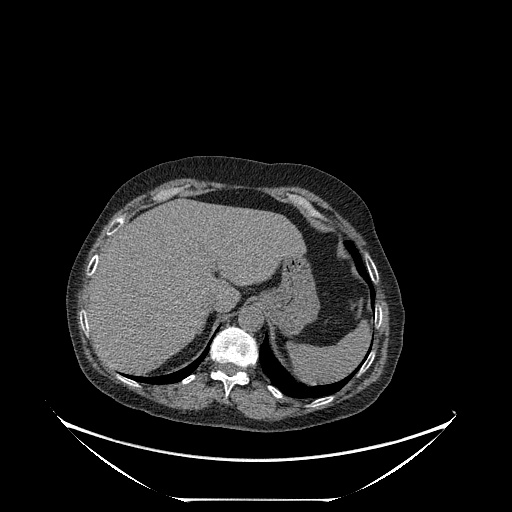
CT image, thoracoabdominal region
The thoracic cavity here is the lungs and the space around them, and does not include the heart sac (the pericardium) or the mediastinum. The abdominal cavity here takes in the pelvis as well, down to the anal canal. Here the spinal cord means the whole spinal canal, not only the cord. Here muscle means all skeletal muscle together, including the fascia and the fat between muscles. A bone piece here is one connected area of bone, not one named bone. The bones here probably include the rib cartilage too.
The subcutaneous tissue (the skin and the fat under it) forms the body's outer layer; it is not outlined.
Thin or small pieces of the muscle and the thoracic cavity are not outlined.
Outlines:
bones 1: (228, 326) (235, 326) (243, 329) (256, 340) (258, 346) (258, 359) (257, 364) (254, 367) (249, 367) (247, 369) (249, 382) (244, 385) (235, 384) (228, 395) (227, 402) (225, 402) (223, 383) (220, 380) (210, 377) (210, 372) (216, 368) (216, 364) (206, 358) (215, 335) with a hole at (226, 363) (232, 363) (233, 364) (234, 364) (236, 366) (237, 366) (238, 367) (239, 367) (240, 368) (240, 369) (239, 370) (238, 370) (234, 374) (233, 374) (232, 375) (228, 375) (226, 373) (225, 373) (221, 369) (221, 366) (223, 364) (225, 364)
bones 2: (288, 192) (289, 193) (294, 193) (295, 194) (300, 195) (304, 197) (306, 199) (307, 199) (326, 217) (327, 220) (322, 220) (317, 217) (314, 217) (308, 214) (303, 209) (302, 209) (301, 207) (297, 205) (294, 205) (292, 203) (288, 201) (285, 197) (285, 194)
bones 3: (185, 184) (189, 184) (190, 185) (189, 188) (185, 189) (183, 191) (167, 199) (165, 199) (161, 201) (154, 201) (152, 200) (151, 198) (151, 197) (153, 195) (154, 195) (162, 189) (166, 189) (173, 186) (174, 187) (176, 186) (180, 186) (181, 185) (184, 185)
bones 4: (365, 251) (368, 252) (368, 253) (372, 258) (376, 266) (376, 268) (378, 272) (378, 276) (379, 277) (379, 280) (378, 282) (375, 284) (374, 284) (371, 280) (371, 278) (369, 275) (369, 273) (367, 270) (367, 268) (364, 262) (364, 259) (363, 258) (363, 254)
bones 5: (123, 214) (125, 214) (125, 220) (124, 221) (123, 224) (113, 234) (112, 234) (110, 236) (108, 236) (106, 234) (106, 232) (109, 227) (109, 225) (110, 224) (111, 221) (113, 219) (114, 219) (115, 218) (116, 218) (117, 217) (118, 217)
bones 6: (332, 394) (333, 394) (335, 396) (333, 400) (325, 404) (322, 404) (316, 407) (305, 407) (304, 406) (305, 404) (307, 403) (309, 403) (314, 399) (316, 399) (320, 397) (323, 397) (324, 396) (327, 396) (328, 395) (331, 395)
bones 7: (82, 308) (84, 308) (85, 309) (85, 311) (86, 312) (86, 315) (87, 316) (87, 321) (88, 322) (88, 325) (89, 326) (89, 338) (86, 337) (86, 336) (85, 335) (85, 334) (84, 333) (83, 330) (81, 328) (81, 326) (80, 325) (80, 322) (79, 321) (79, 311)
bones 8: (371, 349) (374, 349) (375, 350) (375, 356) (374, 357) (374, 359) (373, 360) (373, 361) (371, 363) (370, 366) (360, 376) (357, 377) (355, 375) (357, 373) (357, 372) (359, 370) (360, 367) (362, 365) (362, 364) (366, 359) (366, 358) (367, 357) (367, 356) (369, 354)
bones 9: (375, 303) (379, 303) (380, 304) (382, 304) (382, 323) (381, 324) (381, 325) (380, 326) (380, 327) (378, 329) (376, 329) (375, 328) (375, 323) (374, 322) (374, 308) (375, 307)
bones 10: (96, 253) (99, 255) (99, 257) (98, 258) (98, 261) (97, 262) (97, 265) (95, 268) (95, 270) (94, 271) (94, 272) (92, 274) (92, 275) (89, 277) (86, 275) (86, 269) (87, 268) (87, 266) (88, 265) (88, 263) (89, 262) (90, 259) (92, 257) (92, 256)
bones 11: (116, 372) (117, 373) (119, 373) (121, 375) (122, 375) (125, 377) (127, 377) (134, 381) (136, 381) (137, 382) (138, 382) (141, 385) (141, 388) (138, 388) (137, 387) (135, 387) (134, 386) (129, 385) (128, 384) (121, 381) (116, 377) (116, 376) (115, 375)
bones 12: (267, 384) (270, 384) (271, 385) (272, 385) (273, 386) (274, 386) (277, 389) (278, 389) (284, 395) (284, 397) (283, 398) (277, 398) (276, 397) (275, 397) (271, 393) (271, 392) (266, 387) (266, 386) (267, 385)
bones 13: (192, 373) (194, 373) (196, 376) (195, 377) (195, 378) (193, 380) (192, 380) (191, 381) (190, 381) (188, 383) (185, 383) (184, 384) (183, 384) (180, 382) (180, 381) (182, 379) (183, 379) (184, 378) (185, 378) (187, 376) (188, 376) (190, 374) (191, 374)
thoracic cavity 1: (265, 334) (267, 334) (268, 337) (269, 347) (281, 367) (295, 382) (306, 387) (332, 384) (345, 378) (360, 364) (371, 344) (371, 348) (356, 373) (339, 390) (334, 393) (313, 399) (296, 398) (284, 394) (271, 384) (270, 380) (263, 373) (258, 364) (259, 346) (262, 343)
thoracic cavity 2: (218, 328) (219, 328) (219, 330) (211, 340) (208, 350) (208, 354) (205, 359) (193, 372) (182, 378) (179, 381) (165, 384) (154, 384) (146, 382) (139, 382) (120, 373) (134, 376) (153, 377) (170, 374) (180, 370) (193, 362) (202, 353) (212, 338) (216, 329)
thoracic cavity 3: (348, 240) (350, 240) (354, 244) (360, 253) (363, 259) (363, 262) (370, 280) (373, 284) (374, 293) (375, 294) (375, 302) (373, 309) (372, 309) (372, 306) (371, 305) (369, 286) (367, 282) (358, 271) (358, 269) (354, 261) (354, 258) (348, 248) (346, 247) (345, 242)
abdominal cavity: (223, 189) (255, 190) (289, 202) (349, 239) (344, 244) (368, 286) (375, 329) (365, 355) (345, 377) (313, 386) (295, 381) (275, 357) (264, 313) (252, 303) (216, 328) (193, 361) (170, 373) (117, 372) (98, 355) (90, 337) (86, 296) (106, 242) (142, 208) (178, 194)
spinal cord: (226, 363) (232, 363) (233, 364) (234, 364) (236, 366) (237, 366) (238, 367) (239, 367) (240, 368) (240, 369) (239, 370) (238, 370) (234, 374) (233, 374) (232, 375) (228, 375) (226, 373) (225, 373) (221, 369) (221, 366) (223, 364) (225, 364)
torso: (195, 155) (225, 155) (268, 163) (310, 165) (343, 181) (365, 202) (397, 279) (405, 312) (403, 345) (392, 378) (367, 408) (338, 420) (296, 430) (248, 431) (154, 416) (117, 402) (86, 378) (76, 359) (66, 319) (66, 286) (75, 257) (102, 209) (125, 181) (158, 163)
mediastinum: (250, 304) (256, 306) (261, 310) (263, 313) (263, 319) (265, 321) (265, 333) (263, 339) (259, 345) (258, 345) (257, 340) (250, 333) (243, 328) (235, 325) (228, 325) (220, 329) (222, 325) (228, 318) (233, 316) (236, 312) (239, 310) (241, 310) (244, 306) (247, 306)
muscle: (178, 178) (305, 188) (325, 200) (360, 233) (369, 253) (365, 250) (362, 256) (344, 233) (324, 221) (328, 219) (317, 207) (294, 192) (286, 192) (287, 201) (284, 201) (248, 188) (223, 188) (196, 194) (180, 193) (190, 188) (189, 183) (162, 188) (150, 197) (155, 202) (127, 219) (123, 213) (110, 221) (105, 232) (109, 239) (99, 254) (91, 256) (85, 269) (89, 282) (85, 308) (78, 311) (79, 325) (97, 355) (115, 372) (115, 377) (138, 389) (142, 388) (140, 383) (184, 385) (196, 378) (194, 372) (205, 360) (210, 360) (215, 368) (209, 377) (222, 383) (223, 401) (227, 403) (233, 387) (247, 385) (250, 382) (248, 369) (258, 365) (269, 380) (265, 387) (275, 398) (283, 399) (285, 395) (312, 399) (303, 405) (305, 408) (325, 405) (333, 401) (334, 394) (354, 376) (360, 377) (375, 359) (374, 332) (383, 323) (383, 304) (376, 302) (374, 287) (380, 280) (379, 272) (388, 304) (389, 339) (387, 358) (377, 380) (326, 408) (265, 421) (216, 402) (199, 410) (169, 407) (115, 383) (91, 365) (82, 347) (76, 318) (77, 293) (87, 255) (104, 225) (119, 209) (135, 197)